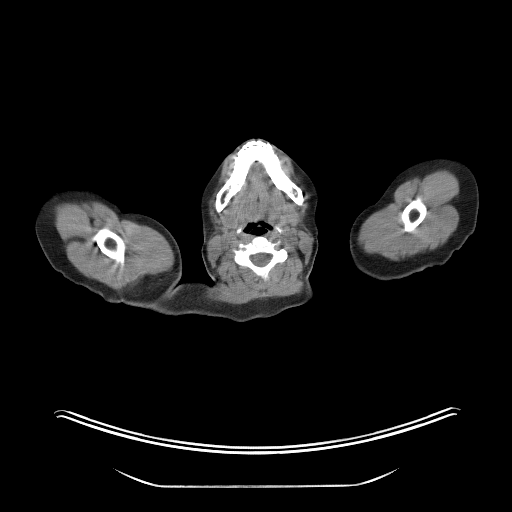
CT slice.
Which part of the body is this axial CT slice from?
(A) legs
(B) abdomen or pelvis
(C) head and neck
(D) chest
(C) head and neck
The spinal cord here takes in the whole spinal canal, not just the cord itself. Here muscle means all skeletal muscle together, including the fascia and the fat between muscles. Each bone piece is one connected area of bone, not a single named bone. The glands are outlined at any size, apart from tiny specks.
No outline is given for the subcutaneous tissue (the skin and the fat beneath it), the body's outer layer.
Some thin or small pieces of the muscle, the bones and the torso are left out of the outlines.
Outlines (x, y in pixels):
bones 1: 252 142; 267 144; 275 150; 281 161; 282 168; 289 178; 301 189; 304 197; 303 205; 296 204; 282 190; 278 189; 263 165; 256 160; 250 166; 241 188; 220 212; 216 211; 216 195; 229 177; 233 169; 234 160; 240 149; 246 143
bones 2: 258 235; 263 235; 273 242; 280 240; 282 245; 287 251; 286 259; 283 262; 277 263; 269 271; 268 279; 258 277; 250 268; 246 266; 240 266; 234 260; 233 249; 237 247; 238 242; 240 241; 243 243; 248 243; 255 236, around a hole outlined by 258 253; 265 253; 266 254; 270 254; 271 255; 271 258; 270 259; 270 260; 265 265; 264 265; 263 266; 259 266; 258 265; 256 265; 255 264; 254 264; 252 262; 252 261; 250 259; 250 256; 251 255; 253 255; 254 254; 257 254
bones 3: 104 227; 108 228; 110 230; 115 232; 123 240; 126 246; 126 250; 125 251; 125 261; 114 261; 111 258; 110 258; 108 256; 104 254; 100 250; 97 244; 93 240; 92 240; 92 237; 93 235; 95 234; 99 229; 103 228
bones 4: 417 196; 419 196; 421 198; 422 201; 426 206; 426 208; 427 209; 427 212; 424 218; 422 220; 422 221; 415 228; 413 232; 406 232; 403 230; 403 223; 400 219; 400 214; 404 209; 404 208; 409 203; 409 202; 413 199; 414 199
left arm: 437 156; 452 157; 463 162; 469 167; 475 176; 479 191; 479 207; 474 232; 462 247; 456 250; 443 265; 428 267; 398 279; 378 280; 366 276; 356 268; 350 256; 348 238; 354 219; 363 209; 373 204; 381 196; 398 173; 417 162
spinal cord: 258 253; 265 253; 266 254; 270 254; 271 255; 271 258; 270 259; 270 260; 265 265; 264 265; 263 266; 259 266; 258 265; 256 265; 255 264; 254 264; 252 262; 252 261; 250 259; 250 256; 251 255; 253 255; 254 254; 257 254
right arm: 64 188; 83 188; 95 191; 116 204; 123 212; 144 214; 165 226; 175 238; 182 258; 182 275; 176 286; 155 305; 148 309; 143 309; 123 303; 107 302; 99 295; 73 283; 54 270; 40 247; 35 234; 34 222; 44 199; 53 191
torso 1: 180 279; 182 282; 200 281; 209 285; 212 282; 213 285; 236 307; 239 313; 246 321; 245 322; 237 322; 227 318; 198 315; 197 314; 188 314; 187 315; 181 315; 180 316; 167 316; 150 310; 147 310; 155 306; 166 297; 177 286
torso 2: 309 278; 310 283; 313 287; 313 289; 314 290; 314 296; 313 297; 313 298; 308 302; 307 302; 302 305; 299 305; 298 306; 295 306; 299 299; 299 297; 302 292; 302 290; 303 289; 304 286; 306 284; 307 281; 309 279
muscle 1: 257 139; 269 142; 275 146; 276 149; 289 160; 294 171; 301 178; 306 189; 310 193; 306 223; 313 237; 313 245; 309 261; 303 271; 302 289; 300 292; 292 295; 254 299; 242 304; 229 304; 225 302; 212 301; 205 298; 202 293; 206 289; 215 287; 218 283; 218 278; 211 267; 206 250; 207 242; 212 229; 212 225; 207 210; 208 206; 207 203; 226 161; 245 142; 248 140; inner edges: 252 142; 267 144; 275 150; 282 168; 301 189; 304 197; 303 205; 296 204; 278 189; 263 165; 256 160; 250 166; 244 184; 223 208; 236 219; 233 226; 227 227; 221 222; 221 213; 215 209; 216 195; 229 177; 240 149; 246 143, then 260 222; 270 226; 261 234; 273 242; 280 240; 287 251; 286 259; 283 262; 277 263; 269 271; 268 279; 258 277; 250 268; 240 266; 234 260; 233 249; 237 247; 238 242; 248 243; 256 235; 244 231; 246 226; 250 223; 256 224, then 286 205; 290 205; 291 206; 292 206; 296 210; 296 211; 297 212; 297 213; 298 214; 298 223; 295 226; 290 226; 289 225; 284 225; 281 222; 281 214; 282 213; 282 210; 283 209; 283 208
muscle 2: 86 200; 99 201; 112 209; 120 218; 147 225; 162 234; 170 244; 174 253; 174 264; 172 269; 163 278; 155 279; 152 282; 121 291; 116 291; 101 282; 90 279; 81 274; 66 256; 64 244; 53 223; 52 209; 54 205; 62 201, around a hole outlined by 104 227; 108 228; 110 230; 115 232; 123 240; 126 246; 126 250; 125 251; 125 261; 114 261; 111 258; 110 258; 108 256; 104 254; 100 250; 97 244; 93 240; 92 240; 92 237; 93 235; 95 234; 99 229; 103 228
muscle 3: 439 168; 447 168; 455 173; 460 184; 459 222; 457 228; 447 241; 433 250; 428 250; 397 261; 386 257; 372 256; 364 252; 357 243; 358 231; 364 220; 372 213; 379 210; 389 200; 395 189; 401 183; 412 177; 431 172, around a hole outlined by 417 196; 419 196; 421 198; 422 201; 426 206; 426 208; 427 209; 427 212; 424 218; 422 220; 422 221; 415 228; 413 232; 406 232; 403 230; 403 223; 400 219; 400 214; 404 209; 404 208; 409 203; 409 202; 413 199; 414 199
head and neck: 250 138; 263 138; 275 144; 293 158; 315 184; 318 194; 315 213; 318 229; 318 250; 309 277; 294 307; 288 308; 268 318; 256 318; 247 321; 237 307; 214 285; 204 266; 201 256; 203 236; 200 199; 205 185; 223 158; 240 142; inner edge: 260 222; 264 222; 265 223; 268 224; 270 226; 270 228; 268 228; 263 233; 256 235; 254 233; 252 233; 251 232; 246 232; 245 231; 244 231; 244 229; 248 224; 249 224; 250 223; 254 223; 255 224; 256 224; 257 223; 259 223
submandibular glands 1: 286 205; 290 205; 291 206; 292 206; 296 210; 296 211; 297 212; 297 213; 298 214; 298 223; 295 226; 290 226; 289 225; 284 225; 281 222; 281 214; 282 213; 282 210; 283 209; 283 208
submandibular glands 2: 224 210; 227 210; 229 212; 230 212; 235 217; 235 218; 236 219; 236 223; 233 226; 232 226; 231 227; 227 227; 226 226; 225 226; 221 222; 221 213